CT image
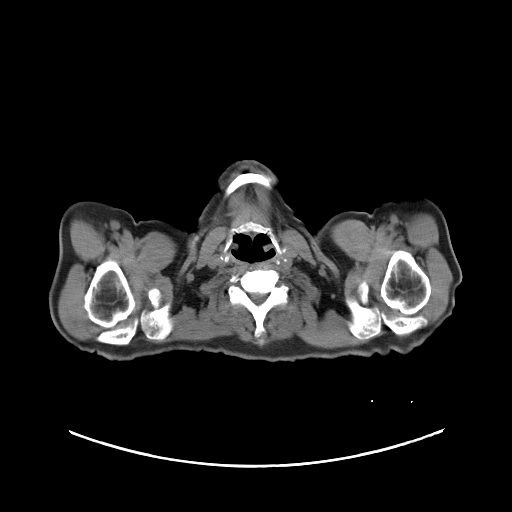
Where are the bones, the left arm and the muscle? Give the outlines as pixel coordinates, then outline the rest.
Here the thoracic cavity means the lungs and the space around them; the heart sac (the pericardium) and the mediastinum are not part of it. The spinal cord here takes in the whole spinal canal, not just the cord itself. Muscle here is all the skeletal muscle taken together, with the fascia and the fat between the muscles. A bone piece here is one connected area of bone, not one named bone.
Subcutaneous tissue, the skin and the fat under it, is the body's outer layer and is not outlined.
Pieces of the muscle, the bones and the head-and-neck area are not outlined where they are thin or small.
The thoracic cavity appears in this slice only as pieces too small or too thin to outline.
Outlines:
bones 1: 395 250; 411 253; 429 279; 431 293; 415 314; 426 318; 427 325; 396 335; 383 324; 379 334; 359 339; 348 328; 351 315; 345 299; 359 300; 357 289; 363 280; 368 286; 366 307; 377 307; 388 316; 401 314; 389 307; 380 294
bones 2: 106 259; 117 262; 135 302; 126 320; 118 324; 125 325; 143 310; 150 311; 153 307; 148 291; 155 287; 161 294; 160 304; 171 304; 173 327; 164 339; 147 338; 139 325; 126 345; 97 341; 106 329; 90 320; 84 296; 96 267
bones 3: 256 268; 276 270; 280 275; 279 281; 289 288; 287 302; 285 304; 275 305; 266 313; 263 321; 265 332; 259 338; 254 336; 256 325; 253 315; 244 306; 240 304; 231 304; 227 292; 230 285; 228 280; 231 275; 241 275; 246 270; inner edge: 249 293; 258 293; 259 294; 268 294; 267 295; 267 296; 266 297; 266 298; 260 304; 256 304; 255 303; 254 303; 252 301; 252 300; 250 298; 250 297; 249 296; 249 295; 248 294
bones 4: 250 221; 270 228; 279 246; 282 249; 285 248; 285 251; 278 254; 271 239; 266 233; 257 233; 252 231; 236 232; 233 235; 232 242; 227 250; 227 254; 229 255; 228 260; 225 261; 222 257; 225 256; 224 248; 231 228; 238 227
bones 5: 245 172; 261 173; 266 176; 270 177; 272 179; 272 181; 271 182; 271 187; 270 188; 268 188; 262 184; 260 184; 256 182; 246 183; 239 186; 230 194; 227 196; 225 196; 225 189; 230 183; 230 182; 239 174; 241 173; 244 173
left arm: 416 196; 423 196; 429 198; 434 201; 441 208; 446 219; 451 244; 461 268; 462 273; 461 282; 457 287; 455 292; 455 306; 453 309; 452 314; 439 328; 418 324; 415 322; 399 318; 395 315; 391 314; 376 290; 370 212; 381 203
muscle: 245 164; 274 179; 283 213; 329 257; 329 229; 339 221; 431 213; 453 277; 443 314; 430 325; 416 314; 430 298; 430 279; 411 252; 395 249; 379 294; 400 314; 366 306; 369 286; 363 279; 358 300; 344 299; 350 315; 346 324; 359 340; 379 335; 383 325; 405 337; 387 335; 331 349; 286 339; 263 346; 213 338; 129 344; 139 326; 147 339; 164 340; 174 327; 172 304; 161 304; 161 291; 151 287; 152 308; 119 324; 136 302; 118 262; 106 258; 95 267; 83 296; 87 317; 105 329; 96 341; 72 336; 60 319; 58 298; 75 259; 69 223; 76 213; 99 212; 138 232; 163 232; 183 256; 212 215; 223 182 with holes at 256 268; 276 270; 280 275; 279 281; 289 288; 287 302; 285 304; 275 305; 266 313; 263 321; 265 332; 259 338; 254 336; 256 325; 253 315; 244 306; 240 304; 231 304; 227 292; 230 285; 228 280; 231 275; 241 275; 246 270 and at 250 221; 270 228; 285 251; 278 254; 269 236; 258 232; 267 240; 262 249; 271 250; 271 256; 255 261; 239 259; 234 255; 234 250; 238 249; 238 236; 246 234; 252 239; 257 233; 236 232; 225 261; 222 257; 231 228 and at 245 172; 261 173; 266 176; 270 177; 272 179; 272 181; 271 182; 271 187; 270 188; 268 188; 262 184; 260 184; 256 182; 246 183; 239 186; 230 194; 227 196; 225 196; 225 189; 230 183; 230 182; 239 174; 241 173; 244 173
right arm: 78 200; 96 200; 104 202; 128 211; 135 219; 136 255; 135 256; 132 307; 123 322; 115 328; 93 334; 60 334; 55 328; 50 316; 48 306; 48 291; 58 260; 59 253; 59 235; 58 234; 59 233; 60 219; 64 210; 71 203
spinal cord: 249 293; 258 293; 259 294; 268 294; 267 295; 267 296; 266 297; 266 298; 260 304; 256 304; 255 303; 254 303; 252 301; 252 300; 250 298; 250 297; 249 296; 249 295; 248 294
head and neck: 242 159; 257 160; 269 167; 279 177; 280 188; 287 204; 312 232; 316 230; 318 246; 328 281; 323 307; 309 328; 265 345; 253 345; 234 340; 205 320; 192 303; 186 275; 189 231; 196 227; 200 213; 216 190; 218 176; 228 165, around a hole outlined by 240 234; 246 234; 252 239; 257 234; 265 236; 265 239; 267 241; 262 246; 262 249; 264 251; 271 250; 271 256; 265 259; 255 261; 246 261; 236 257; 234 255; 234 250; 238 249; 238 242; 236 240; 238 239; 238 236
torso: 345 210; 369 212; 375 290; 389 313; 438 329; 407 354; 269 362; 174 350; 111 361; 78 349; 61 335; 98 334; 124 322; 133 307; 136 220; 146 219; 188 231; 186 281; 191 303; 205 321; 253 346; 305 331; 329 290; 317 229